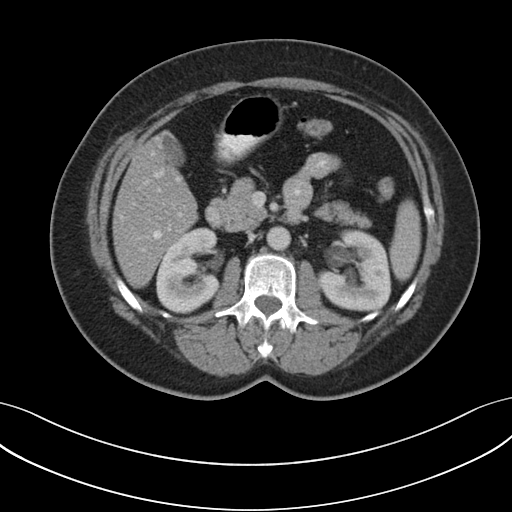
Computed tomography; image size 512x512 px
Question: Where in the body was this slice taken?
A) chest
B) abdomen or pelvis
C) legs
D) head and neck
Answer: B) abdomen or pelvis
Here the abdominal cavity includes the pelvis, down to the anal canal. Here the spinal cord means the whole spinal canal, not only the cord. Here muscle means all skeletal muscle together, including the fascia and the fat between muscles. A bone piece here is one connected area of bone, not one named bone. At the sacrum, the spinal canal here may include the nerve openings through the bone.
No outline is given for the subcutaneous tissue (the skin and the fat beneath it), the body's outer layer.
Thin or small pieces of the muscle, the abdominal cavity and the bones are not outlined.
{"spinal_cord":[[[263,295],[265,296],[272,296],[273,297],[275,297],[277,298],[280,301],[281,303],[281,306],[274,312],[268,315],[265,314],[261,310],[260,310],[256,306],[255,304],[255,300],[258,297],[260,296],[262,296]]],"bones":[{"outer":[[266,253],[283,256],[292,262],[296,273],[295,303],[308,316],[318,320],[316,324],[301,321],[292,333],[282,328],[276,320],[265,332],[261,322],[254,317],[240,329],[234,315],[215,316],[217,311],[233,305],[241,298],[244,291],[244,268],[248,259]],"hole":[[263,295],[265,296],[272,296],[273,297],[275,297],[277,298],[280,301],[281,303],[281,306],[274,312],[268,315],[265,314],[261,310],[260,310],[256,306],[255,304],[255,300],[258,297],[260,296],[262,296]]},[[116,275],[119,275],[119,276],[123,280],[124,283],[127,286],[127,287],[133,293],[133,294],[137,299],[138,302],[142,307],[143,309],[143,312],[141,313],[137,311],[135,309],[132,308],[123,298],[118,289],[118,287],[115,280],[115,277]],[[415,277],[416,277],[417,279],[417,281],[416,282],[416,285],[415,286],[415,288],[414,289],[414,291],[413,293],[411,295],[410,298],[404,305],[404,306],[402,307],[399,310],[396,311],[394,309],[394,308],[399,298]],[[427,200],[430,203],[430,204],[432,206],[432,207],[434,210],[434,219],[435,220],[435,221],[434,222],[434,223],[430,226],[427,222],[427,220],[426,219],[426,217],[425,216],[425,214],[424,213],[424,210],[423,209],[424,204]],[[264,337],[266,337],[268,342],[272,345],[272,349],[271,350],[270,353],[267,356],[266,356],[265,357],[262,357],[261,356],[260,353],[258,351],[258,350],[257,349],[257,347],[258,346],[258,345],[259,345],[263,341],[263,340],[264,339]]],"abdominal_cavity":[[[259,87],[307,91],[357,108],[401,148],[422,200],[425,246],[415,276],[379,314],[357,319],[325,306],[310,262],[303,259],[296,270],[272,252],[251,255],[243,273],[231,257],[212,307],[185,317],[161,312],[120,276],[107,231],[127,163],[194,104]]],"muscle":[{"outer":[[276,76],[307,78],[335,85],[338,87],[354,92],[368,100],[370,100],[392,110],[410,123],[420,134],[428,147],[432,156],[434,165],[437,172],[437,176],[440,183],[441,196],[444,209],[444,229],[443,230],[443,240],[441,247],[441,253],[428,282],[423,302],[416,314],[352,365],[342,368],[336,372],[332,372],[329,374],[318,375],[317,376],[308,376],[307,375],[296,375],[288,373],[277,368],[275,366],[271,365],[266,362],[265,360],[262,360],[256,363],[250,370],[242,374],[235,375],[232,377],[218,377],[185,365],[119,318],[112,310],[111,302],[109,300],[109,294],[106,288],[105,283],[91,256],[90,252],[90,245],[89,244],[89,237],[88,236],[88,229],[87,228],[87,213],[86,212],[87,211],[87,201],[88,200],[89,188],[98,163],[98,160],[102,156],[109,145],[118,136],[134,123],[171,99],[180,96],[187,92],[193,91],[196,89],[200,89],[203,87],[209,86],[218,82],[223,82],[230,80],[235,80],[241,82],[248,82],[257,79],[267,78],[268,77],[275,77]],"holes":[[[259,87],[347,104],[397,141],[435,220],[399,310],[358,322],[325,306],[306,259],[295,303],[318,322],[294,333],[215,316],[243,294],[237,256],[200,313],[166,318],[138,296],[141,313],[121,295],[107,231],[127,163],[194,104]],[[264,337],[266,337],[268,342],[272,345],[272,349],[271,350],[270,353],[267,356],[266,356],[265,357],[262,357],[261,356],[260,353],[258,351],[258,350],[257,349],[257,347],[258,346],[258,345],[259,345],[263,341],[263,340],[264,339]]]}],"torso":[[[256,38],[327,43],[394,71],[445,128],[474,189],[479,260],[459,313],[417,364],[352,396],[304,399],[268,381],[215,400],[190,399],[148,387],[116,369],[86,341],[70,318],[54,279],[49,224],[56,189],[74,150],[108,100],[136,75],[172,56]]]}